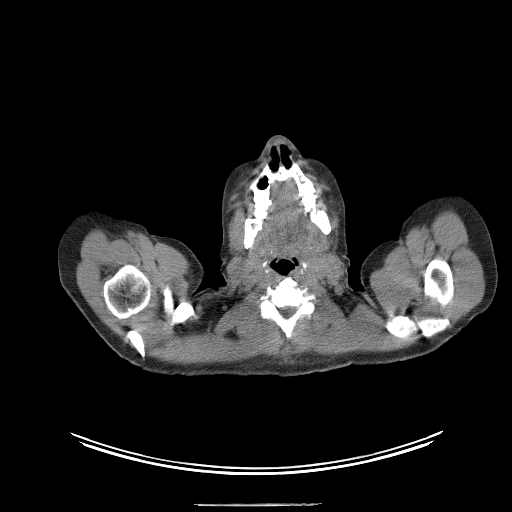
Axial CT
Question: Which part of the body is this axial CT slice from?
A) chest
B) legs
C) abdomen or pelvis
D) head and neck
Answer: D) head and neck
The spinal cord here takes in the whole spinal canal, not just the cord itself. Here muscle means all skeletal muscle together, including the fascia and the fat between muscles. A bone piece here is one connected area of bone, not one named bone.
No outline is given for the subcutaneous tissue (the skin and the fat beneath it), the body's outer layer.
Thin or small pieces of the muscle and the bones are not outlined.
Outlines (x, y in pixels):
right arm: 88,209 101,210 118,218 138,222 145,226 152,234 169,236 182,241 193,251 204,269 204,277 198,288 190,296 179,302 174,309 152,329 131,364 119,357 100,338 65,293 59,280 57,246 61,234 75,216
spinal cord: 287,306 290,306 291,307 295,307 296,308 296,310 294,312 294,313 292,315 291,315 289,317 284,317 280,313 280,312 278,310 278,309 279,308 283,308 284,307 286,307
torso 1: 224,284 225,290 228,296 252,321 266,375 247,376 223,374 203,376 163,375 147,372 132,365 137,353 147,340 153,329 164,320 175,309 179,303 190,297 197,290 202,290 207,287 212,287 217,289 219,286
torso 2: 361,289 376,304 387,311 393,312 399,315 423,319 449,319 466,322 469,324 441,347 425,355 404,361 398,361 387,364 349,365 337,369 344,348 345,331 348,322 349,310 352,304 353,293 354,290
bones 1: 280,160 287,167 292,160 296,161 312,181 316,207 326,212 331,230 325,234 311,221 292,178 276,180 270,186 271,204 261,229 252,247 246,249 243,245 244,222 254,215 253,193 248,187 266,162 275,169 with a hole at 264,178 265,178 265,179 266,180 266,181 266,182 266,183 266,184 265,185 265,186 264,187 263,187 262,187 261,187 260,187 260,186 259,185 260,184 260,183 260,182 261,181 262,180 263,179
bones 2: 125,264 132,264 136,266 147,276 151,285 151,294 150,295 150,299 148,304 141,311 136,314 133,314 127,318 121,318 120,319 112,314 106,306 104,300 104,297 103,296 103,285 104,283 109,279 120,267
bones 3: 284,276 290,276 297,282 300,288 306,286 309,291 315,295 313,301 314,310 311,317 308,318 305,316 296,322 290,339 286,338 281,328 274,321 264,319 260,316 259,307 260,296 266,292 267,286 274,288; inner edge: 287,306 290,306 291,307 295,307 296,308 296,310 294,312 294,313 292,315 291,315 289,317 284,317 280,313 280,312 278,310 278,309 279,308 283,308 284,307 286,307
bones 4: 388,312 392,312 395,315 406,315 412,319 416,320 420,320 421,318 424,317 447,316 450,322 450,326 444,331 440,332 430,338 425,338 420,333 418,333 412,337 403,339 391,334 385,328 384,325 387,319
bones 5: 436,256 440,256 442,258 445,259 448,262 450,269 451,270 451,272 452,273 453,283 454,284 454,291 446,305 445,304 441,304 437,300 437,299 434,297 427,296 423,294 423,281 424,280 423,273 428,263
bones 6: 165,284 167,284 171,289 172,295 176,303 178,303 182,300 188,300 191,302 193,306 194,315 190,316 184,322 177,323 174,325 171,325 170,324 169,321 170,319 166,315 163,310 163,293 162,292 162,288
bones 7: 130,329 137,329 138,330 139,330 139,331 143,338 143,340 144,341 144,349 145,350 145,357 144,358 143,358 140,355 140,354 132,345 130,340 128,338 127,338 126,337 126,332 128,330 129,330
muscle: 264,157 247,187 246,250 276,181 292,179 310,221 331,232 301,160 325,178 336,201 346,295 375,305 371,272 410,228 451,205 484,269 482,300 447,330 447,315 388,311 383,326 391,335 424,338 393,351 293,364 145,358 140,330 125,332 135,350 124,344 80,293 82,238 97,225 116,235 140,231 185,255 192,298 224,294 228,199 241,172; inner edges: 284,276 290,276 297,282 300,288 306,286 309,291 315,295 313,301 314,310 311,317 308,318 305,316 296,322 290,339 286,338 281,328 274,321 264,319 260,316 259,307 260,296 266,292 267,286 274,288, then 125,264 132,264 136,266 147,276 151,285 151,294 150,295 150,299 148,304 141,311 136,314 133,314 127,318 121,318 120,319 112,314 106,306 104,300 104,297 103,296 103,285 104,283 109,279 120,267, then 436,256 440,256 442,258 445,259 448,262 450,269 451,270 451,272 452,273 453,283 454,284 454,291 446,305 445,304 441,304 437,300 437,299 434,297 427,296 423,294 423,281 424,280 423,273 428,263, then 165,284 167,284 171,289 172,295 176,303 178,303 182,300 188,300 191,302 193,306 194,315 190,316 184,322 177,323 174,325 171,325 170,324 169,321 170,319 166,315 163,310 163,293 162,292 162,288, then 278,262 289,262 289,263 290,264 291,264 291,265 290,265 289,266 289,267 288,267 286,269 284,269 283,270 281,270 280,269 279,269 277,267 276,267 276,264 277,264 278,263
left arm: 445,192 459,194 468,199 477,208 489,230 497,264 497,287 493,300 489,307 477,315 470,323 449,318 414,317 387,310 366,294 362,289 359,279 360,265 369,252 386,240 397,239 402,223 416,207 431,197
head and neck: 275,134 286,136 304,156 322,161 333,172 345,204 345,234 350,260 348,283 353,289 343,348 336,369 289,377 267,375 253,321 229,296 220,273 219,256 222,242 221,199 226,177 239,164 256,158 266,141 with holes at 281,145 284,145 286,147 288,152 288,158 290,161 290,163 287,166 280,159 278,162 277,167 274,168 270,164 270,162 272,160 271,150 273,147 275,147 278,156 280,158 281,157 281,149 280,148 and at 278,262 289,262 289,263 290,264 291,264 291,265 290,265 289,266 289,267 288,267 286,269 284,269 283,270 281,270 280,269 279,269 277,267 276,267 276,264 277,264 278,263 and at 264,178 265,178 265,179 266,180 266,181 266,182 266,183 266,184 265,185 265,186 264,187 263,187 262,187 261,187 260,187 260,186 259,185 260,184 260,183 260,182 261,181 262,180 263,179